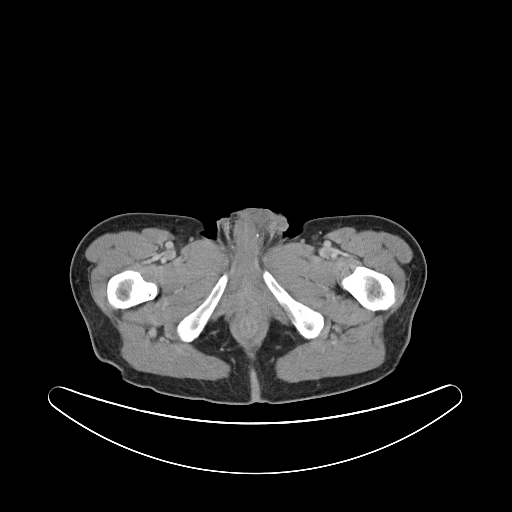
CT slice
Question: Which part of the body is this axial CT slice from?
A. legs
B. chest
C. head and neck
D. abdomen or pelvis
Answer: D. abdomen or pelvis
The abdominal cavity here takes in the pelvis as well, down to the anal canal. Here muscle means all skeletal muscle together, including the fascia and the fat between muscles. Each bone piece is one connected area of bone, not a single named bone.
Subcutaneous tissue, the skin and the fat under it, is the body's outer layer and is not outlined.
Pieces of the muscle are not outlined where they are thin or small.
{"bones":[[[360,265],[365,266],[378,272],[383,273],[392,281],[395,289],[395,297],[396,298],[396,300],[388,309],[386,310],[377,310],[376,311],[373,311],[372,310],[367,309],[362,306],[348,291],[342,288],[341,286],[342,278],[350,274],[357,266],[359,266]],[[126,269],[131,269],[132,270],[138,271],[145,280],[155,283],[158,288],[158,292],[156,296],[153,299],[147,300],[137,305],[135,305],[128,308],[125,308],[124,309],[115,308],[109,303],[107,299],[107,293],[106,292],[107,282],[110,277]],[[264,270],[267,270],[274,277],[278,283],[295,300],[310,307],[316,311],[318,311],[322,314],[324,318],[324,325],[323,328],[316,337],[310,339],[306,339],[299,333],[292,323],[292,316],[290,313],[278,302],[265,283],[262,277],[262,273]],[[224,273],[227,273],[228,276],[228,280],[226,286],[221,295],[221,297],[219,299],[216,306],[210,315],[202,331],[198,337],[192,341],[186,342],[181,340],[176,331],[177,324],[180,320],[181,320],[186,315],[193,311],[204,301],[219,278]]],"torso":[[[245,207],[283,214],[285,236],[297,234],[307,220],[349,214],[387,217],[414,236],[427,278],[408,345],[393,372],[333,395],[232,405],[136,386],[97,358],[69,280],[84,234],[116,214],[154,212],[194,217],[205,225],[203,235],[214,238],[216,220]]],"muscle":[{"outer":[[348,225],[397,233],[414,253],[406,298],[384,324],[385,360],[364,372],[295,383],[275,377],[277,358],[305,340],[296,330],[314,339],[325,318],[267,269],[261,277],[293,326],[274,318],[254,358],[222,315],[207,324],[227,286],[227,272],[176,324],[181,341],[195,340],[198,349],[231,366],[229,377],[216,381],[132,368],[120,355],[118,331],[89,291],[85,250],[107,231],[164,226],[252,262],[272,246],[309,244]],"holes":[[[360,265],[365,266],[378,272],[383,273],[392,281],[395,289],[395,297],[396,298],[396,300],[388,309],[386,310],[377,310],[376,311],[373,311],[372,310],[367,309],[362,306],[348,291],[342,288],[341,286],[342,278],[350,274],[357,266],[359,266]],[[126,269],[131,269],[132,270],[138,271],[145,280],[155,283],[158,288],[158,292],[156,296],[153,299],[147,300],[137,305],[135,305],[128,308],[125,308],[124,309],[115,308],[109,303],[107,299],[107,293],[106,292],[107,282],[110,277]],[[245,277],[249,278],[255,283],[262,297],[262,300],[264,304],[264,315],[265,316],[265,322],[263,326],[261,328],[254,342],[252,344],[249,345],[237,330],[236,327],[234,325],[233,319],[232,318],[234,312],[236,298],[239,291],[241,289],[244,283]]]}],"abdominal_cavity":[[[245,277],[249,278],[255,283],[262,297],[262,300],[264,304],[264,315],[265,316],[265,322],[263,326],[261,328],[254,342],[252,344],[249,345],[237,330],[236,327],[234,325],[233,319],[232,318],[234,312],[236,298],[239,291],[241,289],[244,283]]]}